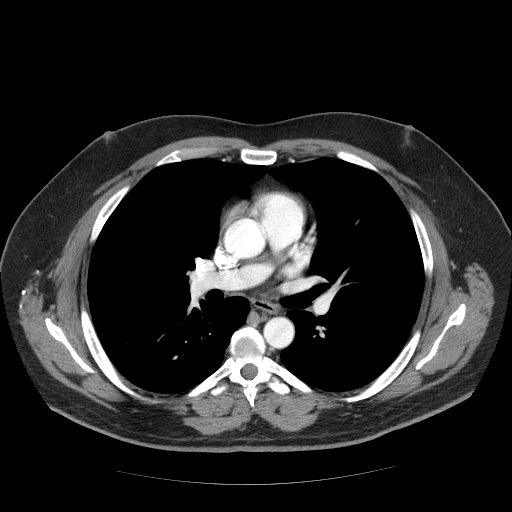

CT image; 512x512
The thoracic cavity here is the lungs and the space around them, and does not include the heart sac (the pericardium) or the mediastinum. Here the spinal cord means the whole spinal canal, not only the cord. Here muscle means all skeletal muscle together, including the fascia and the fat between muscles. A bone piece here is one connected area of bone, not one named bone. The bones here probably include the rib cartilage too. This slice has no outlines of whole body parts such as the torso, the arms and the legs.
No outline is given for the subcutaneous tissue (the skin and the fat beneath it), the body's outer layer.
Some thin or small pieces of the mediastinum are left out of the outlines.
The mediastinum appears in 3 outlined pieces: piece 1: [[214,250],[212,260],[222,281],[235,289],[251,292],[291,282],[299,278],[309,265],[302,286],[286,312],[294,325],[295,335],[280,352],[279,360],[267,354],[262,334],[253,326],[244,325],[250,303],[245,297],[227,290],[216,276],[209,260]]; piece 2: [[265,174],[268,174],[278,182],[286,186],[289,186],[292,188],[294,188],[300,193],[285,186],[279,186],[275,184],[269,184],[268,185],[261,186],[252,191],[250,191],[247,194],[241,197],[238,197],[229,201],[222,209],[222,207],[227,200],[255,183]]; piece 3: [[301,194],[302,194],[310,202],[310,203],[312,205],[312,206],[314,209],[314,212],[315,213],[315,220],[314,220],[314,217],[313,216],[313,213],[312,212],[312,209],[310,206],[310,204],[309,203],[308,203],[308,202],[306,200],[306,199]]. The pericardium is outlined by [[269,185],[285,187],[296,192],[300,194],[309,204],[313,220],[315,221],[316,241],[314,249],[308,266],[299,277],[291,281],[271,288],[263,288],[255,291],[235,288],[223,281],[213,260],[213,254],[218,245],[222,210],[229,202],[241,198],[261,187]]. The muscle is outlined by [[203,135],[242,138],[258,147],[280,139],[309,137],[339,140],[347,142],[379,156],[422,187],[431,199],[441,217],[444,237],[456,271],[459,272],[463,267],[476,257],[485,266],[493,284],[494,304],[489,323],[480,343],[465,365],[449,378],[432,387],[364,416],[347,417],[338,420],[320,422],[317,424],[309,425],[298,431],[281,431],[274,428],[259,415],[254,415],[245,424],[240,425],[232,430],[227,430],[218,434],[211,435],[191,431],[187,428],[154,417],[118,413],[117,411],[97,403],[55,379],[45,369],[34,353],[18,321],[17,306],[19,296],[24,284],[28,279],[44,269],[54,260],[64,244],[84,204],[103,182],[124,170],[140,157],[163,145],[176,140]] with holes at [[211,145],[223,148],[213,157],[238,160],[243,147],[274,149],[278,161],[301,156],[335,157],[339,149],[349,151],[376,167],[407,211],[413,208],[418,213],[433,257],[432,274],[430,278],[424,276],[418,313],[409,335],[420,329],[420,336],[407,364],[380,391],[346,402],[339,398],[346,394],[344,391],[313,387],[313,393],[304,393],[292,386],[288,393],[279,394],[263,383],[252,407],[241,386],[227,379],[228,387],[218,395],[205,391],[193,397],[187,397],[186,391],[148,391],[130,382],[138,393],[161,401],[150,403],[121,390],[100,369],[86,343],[80,317],[82,303],[90,313],[88,270],[94,245],[89,239],[97,215],[113,193],[126,184],[133,187],[173,150]] and at [[461,303],[463,303],[465,305],[466,309],[465,316],[462,322],[460,324],[452,325],[449,327],[446,330],[443,337],[439,342],[437,350],[432,358],[427,361],[419,369],[415,369],[416,364],[422,358],[426,356],[430,351],[434,341],[442,331],[449,316]] and at [[47,317],[49,318],[56,325],[59,326],[61,328],[66,338],[72,347],[76,351],[78,355],[94,370],[94,372],[93,373],[91,372],[88,372],[84,370],[73,359],[72,356],[70,354],[67,348],[60,341],[55,339],[50,334],[45,324],[45,318]]. The spinal cord is outlined by [[246,364],[252,364],[253,365],[254,365],[256,367],[256,368],[257,369],[257,371],[256,372],[256,374],[252,378],[250,378],[249,379],[248,379],[247,378],[245,378],[242,375],[242,374],[241,373],[241,370],[242,369],[242,368]]. The thoracic cavity is outlined by [[301,156],[375,172],[409,214],[424,284],[397,356],[347,391],[312,387],[276,361],[296,335],[287,312],[310,267],[316,213],[265,173],[225,201],[208,257],[249,303],[224,360],[179,393],[131,383],[103,348],[88,299],[92,249],[121,200],[165,164]]. The bones appear in 10 outlined pieces: piece 1: [[243,326],[256,329],[263,338],[266,354],[310,386],[314,392],[304,393],[292,386],[288,393],[279,394],[263,383],[255,395],[252,407],[241,386],[226,379],[228,387],[218,395],[205,391],[187,397],[188,391],[221,366],[226,358],[226,349],[233,333]] with a hole at [[246,364],[252,364],[253,365],[254,365],[256,367],[256,368],[257,369],[257,371],[256,372],[256,374],[252,378],[250,378],[249,379],[248,379],[247,378],[245,378],[242,375],[242,374],[241,373],[241,370],[242,369],[242,368]]; piece 2: [[82,303],[90,315],[94,330],[102,348],[117,371],[129,382],[129,385],[135,391],[143,396],[152,399],[160,400],[161,401],[159,403],[150,403],[145,400],[141,400],[133,397],[121,390],[110,381],[103,373],[94,360],[83,334],[80,317],[80,307]]; piece 3: [[416,329],[420,329],[420,336],[417,345],[415,348],[415,350],[404,368],[390,383],[380,391],[367,398],[354,402],[346,402],[340,400],[339,398],[342,396],[344,396],[346,394],[345,392],[367,386],[377,378],[398,356],[412,335],[413,332]]; piece 4: [[409,208],[413,208],[418,213],[425,226],[426,232],[430,242],[431,251],[433,257],[433,268],[432,269],[432,274],[430,278],[427,277],[424,273],[424,267],[423,266],[423,261],[421,255],[421,250],[418,242],[417,235],[409,213]]; piece 5: [[211,145],[223,148],[221,151],[217,152],[212,156],[205,156],[204,157],[196,157],[195,158],[184,159],[181,161],[165,163],[158,166],[154,166],[162,157],[173,150],[179,149],[183,147],[193,147],[194,146],[197,147],[198,146],[210,146]]; piece 6: [[126,184],[129,184],[130,185],[130,188],[129,190],[120,200],[116,207],[113,210],[109,217],[106,220],[94,243],[93,244],[90,243],[89,239],[91,235],[92,227],[100,209],[108,199],[108,198],[113,193],[114,193],[118,189],[119,189]]; piece 7: [[461,303],[463,303],[465,305],[466,309],[465,316],[462,322],[460,324],[452,325],[449,327],[446,330],[443,337],[439,342],[437,350],[432,358],[427,361],[419,369],[415,369],[416,364],[422,358],[426,356],[430,351],[434,341],[442,331],[449,316]]; piece 8: [[243,147],[247,147],[248,148],[257,148],[258,149],[274,149],[277,152],[278,154],[278,156],[277,157],[277,160],[274,163],[272,164],[270,164],[269,165],[264,165],[263,164],[249,164],[248,163],[245,163],[241,161],[239,158],[239,150]]; piece 9: [[47,317],[49,318],[56,325],[59,326],[61,328],[66,338],[72,347],[76,351],[78,355],[94,370],[94,372],[93,373],[91,372],[88,372],[84,370],[73,359],[72,356],[70,354],[67,348],[60,341],[55,339],[50,334],[45,324],[45,318]]; piece 10: [[339,149],[342,149],[346,151],[352,152],[360,156],[362,158],[369,161],[378,169],[378,170],[381,173],[382,176],[371,169],[363,167],[360,165],[358,165],[357,164],[349,162],[346,160],[344,160],[343,159],[341,159],[337,157],[335,154],[335,151]].